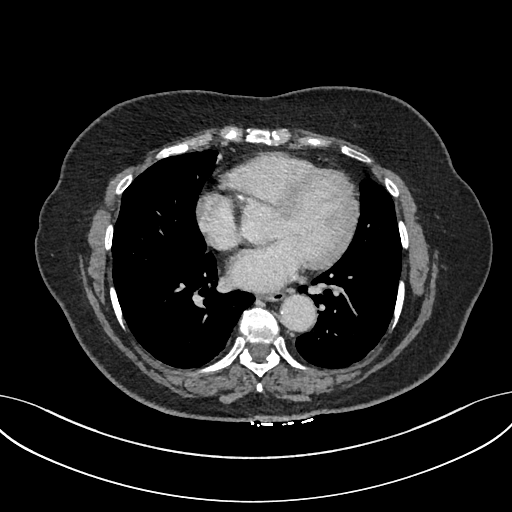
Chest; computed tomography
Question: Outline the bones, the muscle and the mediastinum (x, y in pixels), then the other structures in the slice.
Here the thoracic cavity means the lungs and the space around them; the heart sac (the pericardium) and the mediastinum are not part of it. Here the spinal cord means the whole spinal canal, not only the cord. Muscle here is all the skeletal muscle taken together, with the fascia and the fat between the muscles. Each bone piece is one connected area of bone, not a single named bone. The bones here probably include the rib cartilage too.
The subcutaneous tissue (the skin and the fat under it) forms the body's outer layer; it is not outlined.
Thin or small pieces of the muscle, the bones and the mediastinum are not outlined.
Answer: bones 1: 254,307 266,309 273,314 288,349 299,361 312,369 302,370 295,368 281,358 276,365 259,377 240,363 237,358 227,367 211,372 192,374 197,368 217,360 229,349 235,337 239,334 238,321 243,311 with a hole at 254,343 263,343 264,344 266,344 269,346 269,352 265,357 265,360 262,362 257,362 256,361 255,361 254,360 253,360 253,358 252,357 252,356 251,355 251,354 249,351 249,346 250,345 250,344 253,344
bones 2: 224,126 237,126 242,129 244,129 246,127 254,127 269,130 279,128 287,128 291,132 292,137 289,142 277,146 267,145 263,143 251,143 246,141 236,142 221,139 218,136 218,131
bones 3: 206,132 212,134 212,139 209,142 209,144 207,146 200,147 196,150 190,150 180,154 170,155 167,157 156,160 155,155 162,148 168,146 171,146 174,144 179,143 185,140 188,140 194,136 197,136
bones 4: 400,279 402,279 404,281 405,284 404,301 403,302 401,313 399,316 398,321 395,327 393,329 391,329 390,328 390,322 393,317 393,312 394,311 394,307 395,306 395,302 397,296 398,284
bones 5: 111,285 113,285 117,295 117,299 118,300 119,305 121,308 122,316 125,321 125,326 126,327 125,329 123,329 120,326 116,318 116,316 114,313 114,311 112,307 112,304 111,303 110,297 109,296 109,287
bones 6: 340,145 347,145 348,146 367,155 372,160 372,161 370,163 366,163 365,162 362,162 361,161 360,161 355,158 353,158 350,156 348,156 347,155 342,153 340,151 340,150 339,149 339,147 340,146
bones 7: 303,136 310,136 311,137 316,137 317,138 324,139 325,140 327,140 328,141 329,141 330,142 330,144 328,146 310,146 309,145 306,145 305,144 300,143 297,141 298,138 299,138 300,137 302,137
bones 8: 129,172 132,173 132,174 133,175 133,179 132,180 132,181 130,183 130,184 122,192 121,195 118,195 117,194 116,194 114,192 114,189 115,188 115,187 116,186 116,185 117,184 118,181 124,175 127,174
bones 9: 399,219 401,219 404,222 406,226 406,229 407,230 407,233 408,234 408,246 406,249 404,249 402,248 402,246 401,245 401,240 400,239 400,236 399,235 399,230 398,229 398,223 397,222 397,221
bones 10: 386,175 387,176 388,176 390,178 391,178 394,181 394,182 397,185 397,187 399,190 399,195 397,197 393,197 389,193 389,192 386,189 386,188 385,187 385,186 383,183 383,178 384,177 384,176 385,176
bones 11: 109,223 111,223 113,225 113,236 112,237 112,239 111,240 111,248 110,249 110,250 106,250 105,249 105,248 104,247 104,236 105,235 105,229 106,228 106,227 107,226 107,225
muscle: 231,123 281,127 224,125 217,136 235,142 197,150 207,147 213,139 213,134 206,131 162,147 154,155 156,161 135,177 129,171 117,181 113,189 120,196 117,215 113,224 106,225 103,236 103,247 111,253 113,284 108,287 108,296 115,318 123,330 126,324 135,340 154,358 174,368 195,369 192,375 227,368 237,359 259,378 281,359 302,371 311,371 308,365 339,369 362,360 377,345 389,325 391,330 396,327 402,313 406,293 405,281 400,278 402,249 409,246 409,234 405,222 396,217 393,198 400,195 398,185 386,174 382,182 364,163 373,161 367,154 347,144 339,145 340,152 278,146 291,141 293,134 288,128 334,136 363,148 400,176 415,199 425,231 438,252 439,269 429,318 394,360 359,383 307,401 266,396 260,381 255,385 256,392 230,403 183,397 143,373 113,343 84,294 79,253 110,178 149,150 198,130 with a hole at 303,136 310,136 311,137 316,137 317,138 324,139 325,140 327,140 328,141 329,141 330,142 330,144 328,146 310,146 309,145 306,145 305,144 300,143 297,141 298,138 299,138 300,137 302,137
mediastinum 1: 298,286 298,291 300,293 307,294 309,296 316,312 316,318 311,329 301,333 294,338 294,346 299,358 289,349 285,337 280,332 278,321 271,311 259,306 248,308 252,305 255,299 254,295 250,292 272,293
mediastinum 2: 240,142 263,144 267,146 288,149 317,150 340,153 369,167 383,185 365,177 358,183 358,186 348,172 339,164 328,158 313,154 311,152 299,150 272,149 245,152 228,159 214,170 218,151 213,148 207,148
mediastinum 3: 237,323 237,332 238,334 234,337 232,341 232,343 231,345 228,348 228,349 224,353 223,352 221,354 222,352 222,350 224,347 224,345 226,342 226,340 230,332 234,327 235,324
torso: 324,86 364,88 403,100 435,130 453,165 483,205 492,236 491,263 454,349 423,381 383,401 284,423 189,418 134,397 108,377 82,347 38,267 36,225 68,150 102,114 116,104 140,96 175,90 274,96
pericardium: 272,150 311,153 339,165 347,172 358,187 359,216 353,237 344,253 333,265 312,278 309,283 272,292 254,292 233,285 221,273 216,256 209,250 200,229 196,210 204,186 214,171 220,166 228,160 245,153
spinal cord: 254,343 263,343 264,344 266,344 269,346 269,352 265,357 265,360 262,362 257,362 256,361 255,361 254,360 253,360 253,358 252,357 252,356 251,355 251,354 249,351 249,346 250,345 250,344 253,344
thoracic cavity 1: 206,149 217,151 217,156 213,172 203,186 195,210 206,244 205,250 215,256 229,289 249,292 254,299 242,311 218,356 200,367 181,368 154,357 136,340 128,327 113,283 112,240 121,196 134,178 159,160
thoracic cavity 2: 365,178 384,186 392,197 397,220 401,265 392,317 379,341 362,359 339,368 318,367 304,363 296,349 295,338 312,329 317,312 310,296 300,292 299,287 309,284 312,279 328,270 349,247 360,216 359,183